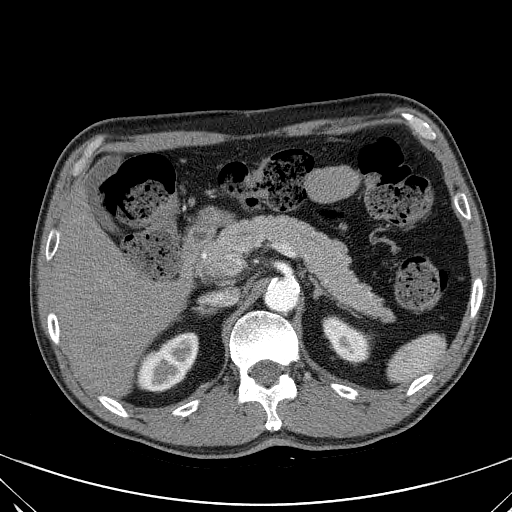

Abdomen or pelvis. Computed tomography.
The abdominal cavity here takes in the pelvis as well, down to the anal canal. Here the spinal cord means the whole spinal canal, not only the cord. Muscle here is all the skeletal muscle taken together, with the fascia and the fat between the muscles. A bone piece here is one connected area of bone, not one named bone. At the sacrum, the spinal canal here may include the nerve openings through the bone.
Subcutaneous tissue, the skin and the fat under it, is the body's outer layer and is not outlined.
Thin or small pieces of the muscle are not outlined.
The spinal cord is outlined by 262,360 270,360 273,362 275,362 279,364 281,366 282,370 283,371 278,377 277,379 277,382 269,386 266,386 265,385 258,383 256,381 256,380 250,375 249,373 250,372 250,369 257,362 261,361. The bones appear in 11 outlined pieces: piece 1: 253,310 265,310 285,318 295,330 299,341 299,358 289,367 290,375 296,385 297,396 294,399 281,399 277,403 276,412 282,422 278,430 266,429 267,414 258,401 237,403 239,370 230,358 230,333 238,318, around a hole outlined by 262,360 270,360 273,362 275,362 279,364 281,366 282,370 283,371 278,377 277,379 277,382 269,386 266,386 265,385 258,383 256,381 256,380 250,375 249,373 250,372 250,369 257,362 261,361; piece 2: 402,112 407,112 408,113 410,113 420,118 422,120 427,122 436,134 436,138 435,140 428,140 422,137 415,131 414,131 414,130 412,129 409,125 408,125 406,120 402,117 403,116 403,113; piece 3: 476,276 479,276 481,278 482,285 483,286 483,294 482,295 481,302 480,303 480,305 479,306 477,313 473,318 470,318 470,309 471,308 471,305 470,304 470,295 471,294 471,289 472,288 472,282; piece 4: 99,136 103,136 103,139 101,143 93,151 91,156 87,160 85,165 83,167 81,171 77,175 74,176 72,174 72,169 73,168 73,165 74,163 82,154 83,151 88,145 88,144; piece 5: 457,191 459,191 460,192 463,192 465,194 467,198 467,201 468,202 468,204 469,205 469,208 470,209 470,212 471,213 471,219 470,220 467,220 465,218 464,218 454,207 452,203 451,196 453,195; piece 6: 100,394 105,395 119,402 123,406 123,407 129,414 129,416 127,417 123,417 122,416 120,416 110,411 106,407 105,407 99,401 99,400 97,398 97,396; piece 7: 52,228 56,228 58,229 60,233 60,235 59,236 59,242 58,243 57,248 55,251 55,253 53,255 52,258 50,260 46,260 46,258 45,257 45,247 46,246 46,242 47,241 48,234 50,230; piece 8: 50,311 53,311 57,318 57,323 58,324 58,326 59,327 59,338 60,339 59,344 55,344 52,341 52,340 50,338 50,336 49,335 49,332 48,331 48,327 47,326 47,315 48,314 48,313; piece 9: 431,371 433,372 433,376 432,378 424,386 420,388 417,391 416,391 411,395 409,395 407,396 405,394 406,393 406,390 407,388 409,386 409,385 415,379; piece 10: 332,382 334,382 335,383 339,383 343,385 346,385 347,386 352,387 356,389 358,391 359,394 355,398 355,399 353,400 351,399 349,399 346,397 341,396 339,395 330,386 330,383; piece 11: 196,399 199,399 199,400 200,401 199,402 198,407 195,411 190,413 186,416 179,416 178,415 173,415 172,414 172,413 171,412 173,409 174,409 178,406 180,406 187,402 190,402 191,401 193,401. The muscle is outlined by 394,106 416,109 438,126 476,205 484,239 487,284 474,338 441,387 394,425 351,437 281,430 277,412 281,400 298,396 290,367 300,354 325,378 337,382 329,386 341,397 355,400 360,393 353,387 404,386 408,386 404,394 411,396 433,378 432,370 456,336 469,300 469,318 479,311 483,281 479,275 472,281 468,246 454,209 470,221 468,198 459,190 450,194 441,162 411,130 435,141 437,134 430,124 402,111 409,127 386,123 341,133 271,135 95,154 73,188 59,229 52,227 47,234 44,257 51,260 53,303 46,315 49,338 55,345 61,341 83,381 99,392 98,401 123,418 130,416 123,404 148,412 172,408 173,416 188,416 198,409 197,398 217,381 228,358 238,370 236,403 258,402 266,414 267,430 237,445 172,444 104,420 73,394 41,328 37,257 59,174 80,144 97,134 176,130 249,134 316,119 365,116 with a hole at 99,136 103,136 103,139 101,143 93,151 91,156 87,160 85,165 83,167 81,171 77,175 74,176 72,174 72,169 73,168 73,165 74,163 82,154 83,151 88,145 88,144. The torso is outlined by 372,92 413,98 443,120 487,219 495,261 493,309 471,361 449,391 410,428 363,446 330,450 273,446 226,459 166,452 110,433 83,415 44,363 29,301 35,225 54,164 69,141 90,124 116,116 259,109. The abdominal cavity is outlined by 386,124 408,127 435,154 467,246 469,299 455,336 430,371 389,389 343,384 300,353 296,330 285,317 253,309 231,328 230,359 221,374 193,400 148,411 84,381 60,338 50,276 64,212 95,155 341,134.